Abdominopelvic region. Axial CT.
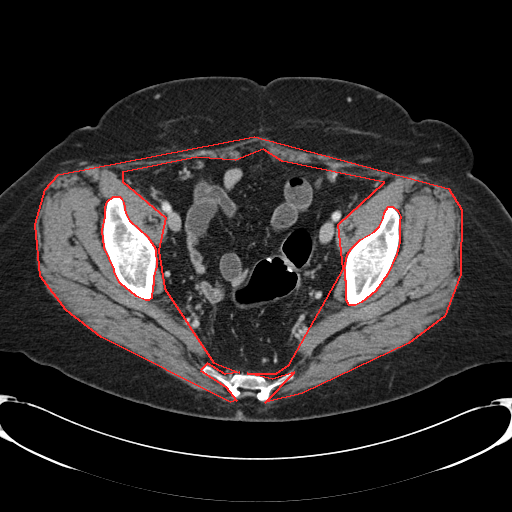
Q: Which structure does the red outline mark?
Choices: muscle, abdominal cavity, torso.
A: red: muscle.
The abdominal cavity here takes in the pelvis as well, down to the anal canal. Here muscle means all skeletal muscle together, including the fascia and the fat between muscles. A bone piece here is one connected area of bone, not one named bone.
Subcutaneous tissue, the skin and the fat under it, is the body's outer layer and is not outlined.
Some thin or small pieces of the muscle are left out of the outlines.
muscle: 254 136; 448 188; 461 209; 460 274; 444 316; 408 343; 302 393; 265 402; 294 372; 272 379; 247 373; 276 373; 289 364; 343 269; 338 224; 384 182; 282 161; 263 149; 235 160; 196 157; 122 172; 122 181; 165 217; 158 250; 164 288; 213 362; 239 372; 225 374; 207 363; 200 370; 225 386; 236 400; 230 402; 101 337; 66 310; 40 276; 35 224; 45 189; 58 174; inner edges: 113 196; 119 196; 121 198; 123 202; 125 213; 129 220; 147 236; 155 248; 156 266; 153 276; 153 285; 152 286; 151 298; 148 300; 145 300; 136 296; 120 283; 114 272; 114 269; 104 247; 102 230; 105 216; 105 207; 107 201, then 388 206; 392 206; 397 210; 400 216; 399 221; 399 242; 396 254; 387 274; 375 291; 361 302; 355 305; 349 305; 346 300; 346 281; 345 280; 345 270; 344 269; 347 254; 351 248; 360 239; 374 231; 379 226; 383 218; 384 212
torso: 211 75; 260 84; 281 76; 348 80; 390 96; 416 121; 438 119; 457 129; 473 151; 473 174; 511 215; 511 362; 473 367; 356 411; 247 422; 154 408; 86 385; 21 352; 0 351; 0 193; 71 131; 94 125; 124 96; 164 81
abdominal cavity: 254 150; 263 150; 282 162; 316 164; 383 182; 337 224; 335 245; 343 266; 335 286; 316 319; 298 338; 288 364; 269 373; 243 373; 216 364; 210 357; 164 285; 159 250; 166 237; 166 217; 120 177; 124 172; 196 158; 235 161
bones 1: 113 196; 119 196; 121 198; 123 202; 125 213; 129 220; 147 236; 155 248; 156 266; 153 276; 153 285; 152 286; 151 298; 148 300; 145 300; 136 296; 120 283; 114 272; 114 269; 104 247; 102 230; 105 216; 105 207; 107 201
bones 2: 388 206; 392 206; 397 210; 400 216; 399 221; 399 242; 396 254; 387 274; 375 291; 361 302; 355 305; 349 305; 346 300; 346 281; 345 280; 345 270; 344 269; 347 254; 351 248; 360 239; 374 231; 379 226; 383 218; 384 212
bones 3: 206 364; 225 375; 232 375; 235 373; 254 374; 272 380; 292 371; 294 377; 292 380; 274 387; 270 391; 266 401; 258 400; 256 397; 257 392; 249 389; 242 389; 240 396; 234 399; 223 383; 212 376; 204 375; 202 373; 201 370